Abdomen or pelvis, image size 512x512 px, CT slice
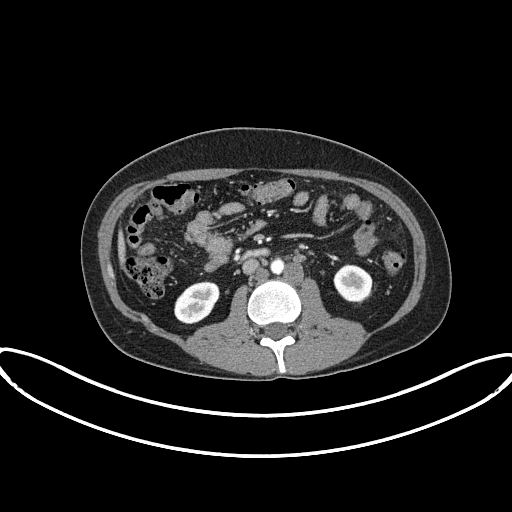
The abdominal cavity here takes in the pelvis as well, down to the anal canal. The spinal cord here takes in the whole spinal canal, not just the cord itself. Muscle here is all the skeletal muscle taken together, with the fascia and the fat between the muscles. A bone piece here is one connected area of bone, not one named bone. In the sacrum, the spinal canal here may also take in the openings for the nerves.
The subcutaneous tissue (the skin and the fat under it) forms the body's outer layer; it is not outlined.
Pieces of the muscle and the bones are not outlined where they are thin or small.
{"spinal_cord":[[[273,339],[278,339],[282,337],[287,333],[288,328],[286,324],[284,324],[280,322],[274,322],[273,323],[270,323],[266,325],[264,327],[263,329],[264,331],[264,334],[266,336],[268,336]]],"abdominal_cavity":[[[183,335],[223,320],[234,291],[244,283],[248,297],[268,279],[286,281],[299,292],[307,276],[317,282],[332,316],[371,329],[388,319],[407,295],[413,277],[410,234],[382,200],[338,180],[246,171],[156,184],[118,219],[112,264],[122,299],[154,323]]],"torso":[[[242,381],[305,379],[363,367],[420,344],[442,323],[452,288],[445,237],[427,201],[395,169],[359,149],[322,136],[280,128],[228,127],[194,133],[159,146],[120,168],[100,187],[83,221],[80,261],[90,307],[105,336],[124,354],[151,365],[190,375]]],"muscle":[[[252,375],[279,373],[273,352],[259,344],[258,328],[247,316],[245,284],[235,291],[229,314],[223,321],[204,325],[185,336],[150,320],[146,322],[143,314],[121,299],[115,277],[111,279],[107,275],[106,267],[109,263],[112,267],[111,239],[123,210],[156,183],[221,178],[246,170],[343,180],[387,203],[412,237],[414,277],[408,295],[388,320],[367,330],[359,322],[332,317],[323,306],[316,282],[304,278],[298,293],[302,310],[290,327],[296,341],[284,349],[286,373],[302,374],[349,358],[373,334],[408,313],[420,297],[426,269],[424,234],[409,207],[390,189],[371,180],[324,169],[200,168],[134,183],[111,201],[97,232],[97,254],[103,282],[116,309],[202,363]]],"bones":[{"outer":[[280,373],[285,372],[283,349],[286,345],[291,344],[295,341],[289,330],[289,327],[290,324],[299,315],[301,310],[301,302],[294,287],[283,281],[268,280],[256,286],[251,292],[247,303],[247,313],[250,319],[259,328],[260,344],[268,346],[274,352]],"hole":[[273,339],[278,339],[282,337],[287,333],[288,328],[286,324],[284,324],[280,322],[274,322],[273,323],[270,323],[266,325],[264,327],[263,329],[264,331],[264,334],[266,336],[268,336]]}]}